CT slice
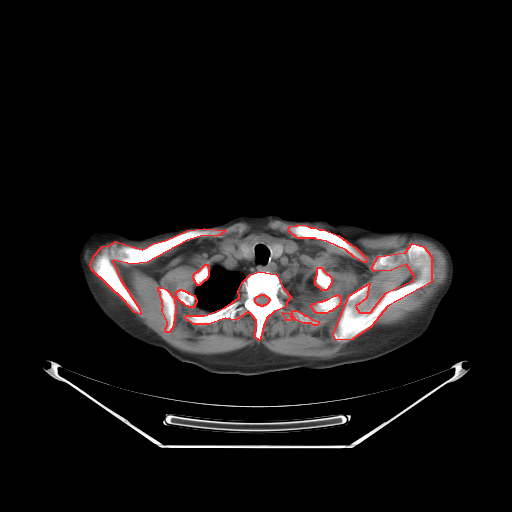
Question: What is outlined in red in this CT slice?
Answer: red: bones.
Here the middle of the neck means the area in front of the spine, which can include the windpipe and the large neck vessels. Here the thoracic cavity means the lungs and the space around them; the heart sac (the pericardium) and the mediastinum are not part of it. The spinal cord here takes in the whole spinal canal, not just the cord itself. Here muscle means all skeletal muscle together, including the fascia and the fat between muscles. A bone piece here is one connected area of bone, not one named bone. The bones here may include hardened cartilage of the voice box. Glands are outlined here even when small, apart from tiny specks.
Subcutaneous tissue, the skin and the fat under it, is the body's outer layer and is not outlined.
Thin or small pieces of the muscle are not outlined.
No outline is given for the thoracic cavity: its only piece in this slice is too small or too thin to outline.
{"bones":[[[412,243],[423,246],[431,256],[431,282],[387,306],[371,326],[352,339],[336,340],[333,334],[349,295],[369,283],[366,298],[355,306],[359,312],[370,312],[386,292],[413,280],[414,276],[406,264],[391,270],[374,271],[371,268],[378,256],[405,252]],[[204,228],[225,230],[219,235],[200,236],[187,240],[147,262],[131,264],[114,260],[112,261],[120,279],[139,308],[140,314],[134,312],[124,300],[91,269],[90,265],[94,255],[102,246],[109,245],[115,241],[142,249],[153,243],[165,240],[187,230]],{"outer":[[259,271],[276,274],[283,288],[291,297],[286,302],[285,307],[274,311],[266,318],[259,340],[255,337],[256,320],[248,311],[235,320],[225,318],[208,324],[194,324],[185,318],[186,315],[204,315],[225,307],[239,297],[238,290],[242,282],[250,274]],"hole":[[261,294],[263,294],[264,295],[265,295],[267,297],[268,297],[268,298],[269,299],[269,300],[268,301],[268,302],[265,305],[263,305],[262,306],[261,306],[260,305],[258,305],[255,302],[255,298],[257,296],[258,296],[259,295],[260,295]]},[[298,224],[306,225],[310,227],[314,227],[319,229],[323,229],[338,235],[350,244],[354,246],[365,257],[366,261],[365,262],[363,262],[354,257],[346,250],[326,241],[316,239],[315,238],[298,238],[296,237],[289,231],[288,228],[290,226],[297,225]],[[158,287],[161,287],[166,289],[174,298],[174,302],[175,303],[175,314],[174,315],[173,326],[169,332],[166,332],[165,331],[165,328],[167,325],[167,321],[162,311],[162,308],[163,306],[162,305],[162,301],[160,296],[160,292],[158,290]],[[337,294],[338,295],[339,295],[339,296],[340,297],[340,303],[338,306],[337,306],[331,311],[329,311],[326,313],[316,313],[311,307],[311,305],[313,303],[315,303],[318,301],[322,301],[323,300],[325,300],[326,299],[327,299],[334,295],[336,295]],[[318,267],[321,267],[322,268],[322,269],[327,274],[328,274],[331,277],[331,283],[330,284],[330,285],[328,287],[328,288],[326,290],[322,290],[319,287],[318,287],[315,284],[315,279],[316,278],[316,275],[317,274],[317,268]],[[293,310],[296,310],[302,313],[304,315],[306,315],[312,319],[318,321],[319,323],[316,325],[314,325],[311,323],[303,323],[296,320],[293,317],[290,320],[286,320],[282,312],[290,313],[290,316],[291,317],[293,315],[292,313],[292,311]],[[180,289],[181,289],[182,290],[184,290],[185,291],[186,291],[188,293],[194,295],[194,296],[196,299],[196,302],[193,307],[189,307],[188,306],[185,305],[182,302],[181,302],[177,298],[177,297],[176,296],[176,292],[178,290],[179,290]],[[205,264],[207,264],[207,266],[208,267],[208,276],[207,277],[207,278],[205,280],[204,280],[199,285],[197,285],[197,284],[195,282],[195,281],[194,280],[194,279],[193,278],[193,275],[194,274],[194,273],[195,272],[196,272],[197,271],[198,271]]],"torso":[[[268,214],[351,223],[377,230],[414,228],[428,232],[441,239],[452,253],[453,284],[425,333],[373,359],[256,375],[213,373],[181,362],[162,348],[133,339],[104,316],[78,266],[78,244],[89,232],[104,227],[139,238],[185,226],[219,224],[240,215]]],"thyroid_glands":[[[256,238],[259,239],[258,240],[258,241],[253,246],[253,252],[252,253],[252,257],[251,258],[251,259],[247,259],[246,258],[245,258],[242,255],[242,254],[239,249],[239,246],[242,243],[245,243],[246,242],[247,242],[252,239],[255,239]],[[271,243],[277,243],[278,244],[281,244],[283,246],[283,251],[282,252],[282,253],[281,254],[281,255],[276,259],[275,259],[274,258],[273,258],[273,257],[272,256],[272,254],[271,253],[271,251],[270,250],[270,248],[269,247],[269,245]]],"muscle":[{"outer":[[270,220],[322,224],[356,238],[426,238],[446,256],[446,281],[407,319],[372,326],[383,310],[434,278],[429,251],[412,242],[405,251],[378,255],[370,267],[374,272],[406,265],[411,281],[386,291],[370,311],[356,306],[367,298],[369,282],[346,297],[332,334],[336,341],[348,342],[345,354],[289,356],[257,343],[219,354],[181,351],[136,316],[141,310],[113,261],[144,264],[187,241],[219,236],[226,230],[217,227]],"holes":[[[256,238],[293,249],[293,276],[299,282],[297,283],[303,294],[295,294],[287,284],[282,286],[291,298],[285,307],[274,311],[266,318],[259,340],[255,337],[256,320],[248,311],[235,320],[225,318],[208,324],[194,324],[188,321],[186,315],[204,315],[212,312],[196,302],[193,307],[185,305],[177,298],[176,292],[181,289],[194,295],[198,287],[193,278],[195,272],[205,264],[209,272],[216,265],[225,266],[230,248]],[[298,224],[306,225],[310,227],[314,227],[319,229],[323,229],[338,235],[350,244],[354,246],[365,257],[366,261],[365,262],[363,262],[354,257],[346,250],[326,241],[316,239],[315,238],[298,238],[296,237],[289,231],[288,228],[290,226],[297,225]],[[158,287],[161,287],[166,289],[174,298],[174,302],[175,303],[175,314],[174,315],[173,326],[169,332],[166,332],[165,331],[165,328],[167,325],[167,321],[162,311],[162,308],[163,306],[162,305],[162,301],[160,296],[160,292],[158,290]],[[337,294],[338,295],[339,295],[339,296],[340,297],[340,303],[338,306],[337,306],[331,311],[329,311],[326,313],[316,313],[311,307],[311,305],[313,303],[315,303],[318,301],[322,301],[323,300],[325,300],[326,299],[327,299],[334,295],[336,295]],[[318,267],[321,267],[322,268],[322,269],[327,274],[328,274],[331,277],[331,283],[330,284],[330,285],[328,287],[328,288],[326,290],[322,290],[319,287],[318,287],[315,284],[315,279],[316,278],[316,275],[317,274],[317,268]],[[293,310],[296,310],[302,313],[304,315],[306,315],[312,319],[318,321],[319,323],[316,325],[314,325],[311,323],[303,323],[296,320],[293,317],[290,320],[286,320],[282,312],[290,313],[290,316],[291,317],[293,315],[292,313],[292,311]]]},[[166,237],[169,237],[165,239],[158,240],[142,248],[131,246],[128,244],[119,242],[117,240],[115,240],[109,244],[102,245],[93,255],[93,257],[91,259],[90,261],[90,264],[89,265],[90,266],[90,269],[84,259],[84,253],[85,252],[85,250],[88,247],[98,243],[102,243],[106,241],[111,241],[112,240],[121,240],[122,241],[142,242],[143,241],[147,241],[148,240],[155,240],[156,239],[165,238]],[[92,271],[93,273],[96,276],[97,276],[97,277],[99,278],[100,280],[101,280],[109,288],[110,288],[118,296],[119,296],[125,303],[122,302],[119,298],[116,297],[114,295],[110,293],[105,288],[104,288],[95,279],[94,277],[94,275]]],"middle_of_the_neck":[[[260,239],[271,242],[268,247],[275,260],[284,247],[293,249],[293,276],[303,294],[283,285],[276,273],[259,270],[241,282],[233,300],[225,306],[212,312],[199,305],[196,289],[214,266],[226,265],[230,248],[238,247],[241,255],[251,260]]],"spinal_cord":[[[261,294],[263,294],[264,295],[265,295],[267,297],[268,297],[268,298],[269,299],[269,300],[268,301],[268,302],[265,305],[263,305],[262,306],[261,306],[260,305],[258,305],[255,302],[255,298],[257,296],[258,296],[259,295],[260,295]]]}